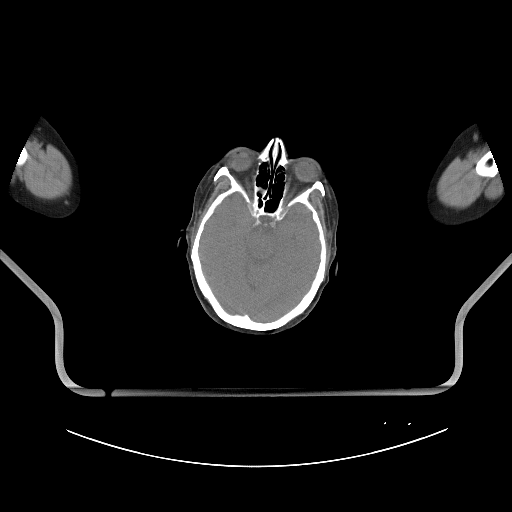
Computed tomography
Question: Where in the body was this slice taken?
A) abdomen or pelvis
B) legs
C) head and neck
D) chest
Answer: C) head and neck
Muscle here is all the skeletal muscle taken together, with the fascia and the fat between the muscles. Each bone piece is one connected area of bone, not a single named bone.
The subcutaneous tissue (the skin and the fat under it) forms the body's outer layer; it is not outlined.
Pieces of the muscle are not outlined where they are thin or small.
Outlined structures:
bones 1: [[274,137],[280,138],[283,142],[288,160],[286,182],[289,198],[316,180],[323,184],[325,194],[323,196],[318,189],[314,189],[309,194],[308,200],[316,210],[323,230],[326,245],[325,271],[324,279],[315,296],[302,313],[277,328],[253,330],[232,325],[216,314],[198,287],[190,252],[202,217],[214,199],[230,186],[229,179],[224,175],[213,180],[217,170],[221,166],[227,166],[237,181],[248,192],[251,191],[257,156]] with holes at [[234,193],[244,200],[255,226],[262,223],[262,217],[273,220],[269,223],[274,226],[290,208],[301,204],[310,212],[317,230],[319,261],[309,287],[295,305],[272,320],[260,321],[247,313],[229,312],[215,295],[203,270],[199,248],[205,224],[224,199]] and at [[278,174],[282,174],[283,175],[283,187],[282,188],[281,195],[279,199],[277,200],[275,204],[275,206],[272,209],[268,209],[267,207],[268,206],[268,202],[272,199],[272,193],[270,191],[270,187],[272,185],[275,185],[277,183],[278,181],[277,179]] and at [[262,168],[263,168],[267,172],[267,174],[269,176],[269,178],[268,177],[265,180],[265,186],[263,186],[262,185],[258,185],[256,183],[256,178],[259,175],[259,174],[260,173],[260,171],[261,170],[261,169]]
bones 2: [[488,150],[490,150],[491,153],[493,155],[493,157],[495,160],[495,162],[497,165],[497,168],[498,169],[498,173],[493,177],[487,177],[486,176],[480,176],[479,175],[478,175],[475,172],[475,166],[476,165],[476,163],[478,161],[478,160]]
bones 3: [[24,147],[25,147],[25,148],[26,149],[26,151],[27,152],[29,157],[26,160],[26,161],[22,165],[20,165],[19,166],[17,166],[16,167],[16,163],[17,162],[17,160],[18,159],[18,158],[19,157],[19,156],[20,155],[20,154]]
right arm: [[41,116],[44,116],[56,129],[75,157],[79,166],[81,179],[84,188],[84,197],[79,209],[72,215],[61,219],[55,219],[46,217],[39,213],[27,209],[14,201],[8,194],[10,181],[12,177],[12,174],[16,167],[17,160],[25,146],[28,137]]
brain: [[234,193],[244,200],[255,226],[262,223],[262,217],[273,220],[269,223],[274,226],[290,208],[301,204],[310,212],[317,230],[319,261],[309,287],[295,305],[272,320],[260,321],[247,313],[229,312],[215,295],[203,270],[199,248],[205,224],[224,199]]
head: [[274,137],[290,157],[312,157],[327,175],[338,204],[340,275],[331,265],[328,283],[302,321],[278,333],[254,335],[228,329],[207,315],[190,280],[186,240],[183,236],[177,248],[173,244],[191,217],[194,193],[207,169],[235,146],[262,150]]; inner edges: [[278,174],[282,174],[283,175],[283,187],[282,188],[281,195],[279,199],[277,200],[275,204],[275,206],[272,209],[268,209],[267,207],[268,206],[268,202],[272,199],[272,193],[270,191],[270,187],[272,185],[275,185],[277,183],[278,181],[277,179]], then [[262,168],[263,168],[267,172],[267,174],[269,176],[269,178],[268,177],[265,180],[265,186],[263,186],[262,185],[258,185],[256,183],[256,178],[259,175],[259,174],[260,173],[260,171],[261,170],[261,169]]
muscle 1: [[33,129],[35,129],[47,138],[64,153],[71,167],[72,175],[73,176],[73,184],[70,192],[70,195],[64,203],[57,203],[56,204],[44,203],[39,200],[28,196],[10,183],[12,174],[15,168],[22,166],[30,157],[25,146],[25,144]]
muscle 2: [[481,133],[487,143],[489,149],[488,149],[475,163],[474,172],[480,177],[486,177],[487,178],[493,178],[499,174],[503,185],[504,191],[495,199],[481,202],[463,209],[456,209],[448,206],[445,206],[437,199],[435,193],[436,184],[441,174],[449,163]]
muscle 3: [[322,181],[327,185],[329,189],[330,205],[331,206],[330,210],[331,214],[331,224],[330,225],[331,227],[331,253],[325,276],[326,262],[327,261],[327,245],[324,230],[318,212],[309,200],[309,196],[314,190],[318,190],[323,197],[326,194],[324,184]]
muscle 4: [[217,168],[218,168],[216,170],[212,178],[212,180],[215,182],[220,177],[224,176],[228,179],[229,186],[227,189],[220,192],[213,199],[201,217],[191,244],[190,251],[191,229],[195,220],[196,212],[200,206],[204,192],[206,191],[208,187],[209,176]]
left arm: [[472,123],[475,123],[477,125],[487,143],[491,153],[493,155],[497,165],[498,173],[500,176],[505,193],[501,201],[493,209],[480,219],[459,226],[444,226],[438,224],[432,220],[425,211],[424,208],[424,195],[426,186],[433,171],[453,140],[462,130]]